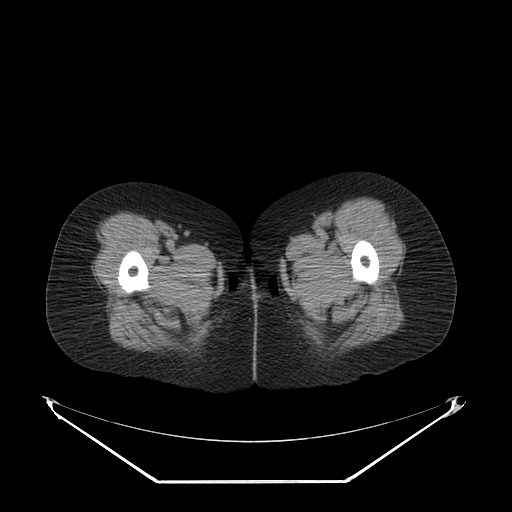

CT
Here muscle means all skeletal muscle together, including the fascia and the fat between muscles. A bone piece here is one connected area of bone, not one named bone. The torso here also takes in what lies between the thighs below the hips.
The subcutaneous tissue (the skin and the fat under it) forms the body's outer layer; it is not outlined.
Outlines (x, y in pixels):
left leg: 348 169; 381 172; 401 182; 419 197; 434 218; 450 253; 456 274; 457 294; 450 329; 435 350; 389 372; 368 374; 355 383; 342 386; 335 372; 300 330; 276 291; 256 274; 250 273; 247 260; 250 254; 250 230; 270 203; 320 176
torso: 251 273; 256 275; 275 291; 280 300; 286 305; 299 330; 307 337; 331 368; 341 386; 270 392; 261 390; 254 385; 248 391; 241 393; 212 395; 154 382; 178 367; 198 350; 210 329; 217 320; 227 312; 240 294; 248 278; 252 277
bones 1: 129 250; 136 250; 139 252; 145 261; 145 263; 148 269; 148 283; 150 286; 150 287; 146 290; 144 290; 143 291; 133 291; 130 293; 126 293; 118 282; 117 277; 118 276; 118 268; 119 267; 120 262; 122 259; 122 257; 126 252
bones 2: 360 239; 363 239; 370 242; 375 248; 377 255; 378 256; 378 260; 379 261; 380 268; 379 269; 378 278; 373 284; 368 284; 364 282; 354 281; 352 276; 352 268; 350 263; 351 253; 352 252; 354 245; 356 242
muscle 1: 360 196; 382 200; 390 205; 394 213; 398 234; 406 247; 404 261; 396 281; 404 320; 396 332; 379 341; 354 348; 331 360; 323 360; 313 353; 286 307; 279 282; 280 265; 284 249; 288 242; 299 231; 305 229; 318 214; 338 201 with a hole at 360 239; 363 239; 370 242; 375 248; 377 255; 378 256; 378 260; 379 261; 380 268; 379 269; 378 278; 373 284; 368 284; 364 282; 354 281; 352 276; 352 268; 350 263; 351 253; 352 252; 354 245; 356 242
muscle 2: 120 210; 147 212; 165 221; 183 236; 195 243; 203 244; 221 263; 225 275; 225 291; 219 306; 219 321; 205 345; 202 355; 187 358; 141 352; 120 347; 111 340; 103 308; 105 298; 94 280; 90 265; 99 248; 95 232; 99 221 with a hole at 129 250; 136 250; 139 252; 145 261; 145 263; 148 269; 148 283; 150 286; 150 287; 146 290; 144 290; 143 291; 133 291; 130 293; 126 293; 118 282; 117 277; 118 276; 118 268; 119 267; 120 262; 122 259; 122 257; 126 252
right leg: 130 180; 154 182; 175 188; 202 199; 228 214; 241 232; 251 277; 247 278; 226 312; 209 329; 197 350; 153 382; 137 377; 117 377; 94 372; 73 362; 54 341; 45 316; 45 288; 51 256; 59 230; 67 215; 90 193; 109 184